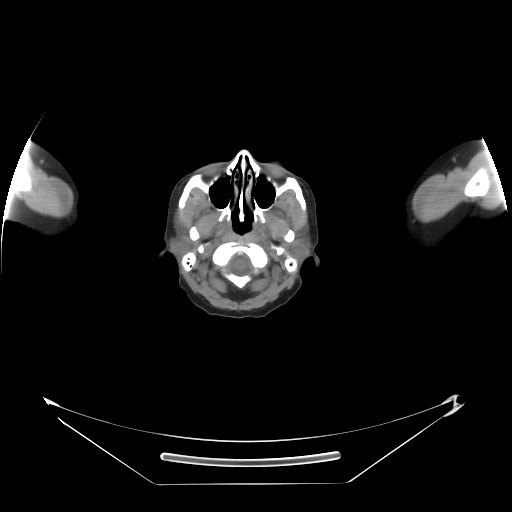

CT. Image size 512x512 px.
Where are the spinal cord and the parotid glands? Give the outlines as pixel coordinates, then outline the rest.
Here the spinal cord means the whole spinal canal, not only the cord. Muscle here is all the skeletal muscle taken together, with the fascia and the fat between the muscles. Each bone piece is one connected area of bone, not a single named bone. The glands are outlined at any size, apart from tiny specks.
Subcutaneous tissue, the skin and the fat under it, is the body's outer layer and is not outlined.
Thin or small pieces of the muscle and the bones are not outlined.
The spinal cord is outlined by 236,254 244,254 249,258 250,260 250,264 252,266 252,268 250,272 248,272 244,274 241,274 240,275 239,274 236,274 230,271 228,269 228,264 230,261 230,259 234,255. The parotid glands appear in 2 outlined pieces: piece 1: 307,222 309,223 309,225 310,226 310,240 311,241 311,248 308,252 308,253 306,255 304,260 302,262 299,262 298,260 292,254 292,242 296,238 299,232 304,227 306,226 306,223; piece 2: 177,230 178,230 180,232 181,232 181,233 184,236 187,237 189,239 189,240 191,243 191,248 189,250 180,254 178,256 175,255 170,250 170,237 171,236 172,236 173,237 175,235 175,234 176,233 176,231. The muscle appears in 3 outlined pieces: piece 1: 186,180 177,208 181,211 197,188 219,213 217,220 225,219 238,234 264,224 265,214 288,190 305,213 302,184 308,221 295,238 290,227 284,233 291,254 279,244 270,245 277,256 285,255 283,267 289,274 298,266 290,289 251,310 216,308 191,290 181,273 178,257 183,254 180,258 180,265 186,272 189,272 197,255 190,250 190,239 178,229 175,233 173,222 179,187; inner edges: 240,239 244,242 254,242 260,245 264,249 268,256 268,262 266,265 261,268 259,270 259,273 254,275 252,279 242,288 237,287 225,278 222,275 220,268 212,261 211,258 212,253 220,244 228,241 234,241, then 193,225 195,225 196,226 196,227 197,228 197,230 198,231 198,232 199,233 199,237 196,240 192,240 190,238 190,237 189,236 189,229 191,227 191,226 192,226, then 201,244 206,244 204,246 204,249 203,250 203,251 201,253 200,253 197,250 197,248 198,247 198,246 199,245 200,245; piece 2: 474,146 488,149 491,154 499,175 503,192 501,205 495,209 487,210 481,208 473,202 462,202 440,219 427,223 419,221 415,217 412,210 412,199 417,188 424,180 432,175 451,157 456,154 469,151; inner edge: 480,167 482,167 484,169 485,169 487,171 489,175 489,179 490,180 490,185 489,186 488,191 485,194 485,195 483,196 476,196 475,197 469,197 464,194 464,192 463,191 464,190 465,185 468,181 468,180; piece 3: 24,147 25,147 34,160 49,173 54,174 63,179 71,188 74,197 73,210 71,214 63,218 52,218 48,216 43,216 26,208 8,193 9,189 16,193 27,194 33,188 32,178 30,172 24,161 20,157. The bones appear in 8 outlined pieces: piece 1: 243,149 251,154 265,175 279,182 286,176 294,177 301,187 306,211 302,210 294,192 288,189 264,214 264,223 252,223 253,214 245,203 242,222 238,219 237,203 231,212 231,223 225,218 219,221 220,213 215,206 223,208 233,193 228,176 220,177 210,187 211,201 202,190 195,187 180,210 179,198 192,175 201,173 208,179 215,173 221,173 with a hole at 260,176 262,176 264,178 264,179 272,186 273,188 273,190 274,191 274,195 273,196 273,199 271,203 269,205 265,207 263,207 259,205 257,200 253,195 253,190 254,189 254,187 256,185 258,181 258,179; piece 2: 240,239 244,242 254,242 260,245 264,249 268,256 268,262 266,265 261,268 259,270 259,273 254,275 252,279 242,288 237,287 225,278 222,275 220,268 212,261 211,258 212,253 220,244 228,241 234,241; inner edge: 236,254 244,254 249,258 250,260 250,264 252,266 252,268 250,272 248,272 244,274 241,274 240,275 239,274 236,274 230,271 228,269 228,264 230,261 230,259 234,255; piece 3: 480,167 482,167 484,169 485,169 487,171 489,175 489,179 490,180 490,185 489,186 488,191 485,194 485,195 483,196 476,196 475,197 469,197 464,194 464,192 463,191 464,190 465,185 468,181 468,180; piece 4: 19,158 20,158 23,161 25,166 29,172 29,174 31,178 32,188 31,190 27,193 24,193 23,192 16,192 13,190 11,190 9,188 10,186 10,183 11,182 11,180 12,179 12,177 13,176 13,174; piece 5: 272,244 279,245 283,247 285,249 286,252 290,254 297,260 298,265 297,266 297,269 295,271 289,273 285,269 284,267 284,260 286,257 286,255 284,253 280,255 277,255 276,251 271,247; piece 6: 189,251 194,251 194,252 196,255 196,261 195,262 195,264 194,265 194,266 193,267 193,268 191,270 190,270 189,271 186,271 182,267 182,266 181,265 181,258 182,257 182,256 185,253 186,253; piece 7: 193,225 195,225 196,226 196,227 197,228 197,230 198,231 198,232 199,233 199,237 196,240 192,240 190,238 190,237 189,236 189,229 191,227 191,226 192,226; piece 8: 289,228 290,228 294,232 294,238 293,239 293,240 291,242 287,242 284,239 284,238 283,237 284,236 284,235 285,234 285,233 287,231 287,230. The head and neck is outlined by 243,149 258,161 279,159 308,183 316,203 315,252 320,266 316,269 314,260 306,259 300,268 302,284 296,294 256,318 208,314 179,286 175,258 168,252 158,257 165,245 168,202 177,181 210,160 231,160, around holes outlined by 224,177 228,177 229,178 229,183 231,186 232,193 231,194 231,197 228,200 226,204 223,207 218,207 214,205 214,204 211,200 211,197 210,196 210,189 211,187 215,183 215,182 216,182 220,178 223,178 and by 260,176 262,176 264,178 264,179 272,186 273,188 273,190 274,191 274,195 273,196 273,199 271,203 269,205 265,207 263,207 259,205 257,200 253,195 253,190 254,189 254,187 256,185 258,181 258,179 and by 235,204 237,204 237,206 238,207 237,219 240,223 242,223 245,220 245,212 244,211 244,206 245,204 247,208 252,214 252,221 251,222 251,226 249,230 243,233 238,233 234,229 232,225 232,212 235,207. The right arm is outlined by 29,139 32,142 34,141 39,143 63,164 74,180 79,192 79,200 78,201 79,216 77,221 66,231 53,238 43,238 39,236 31,229 19,223 9,221 8,220 8,216 6,215 6,201 10,183 20,155. The left arm is outlined by 471,138 479,138 480,140 482,139 491,154 499,175 503,192 503,205 506,211 493,220 486,221 480,219 467,219 449,235 439,249 433,252 421,251 410,241 404,227 404,203 406,196 419,176 434,159 452,146.